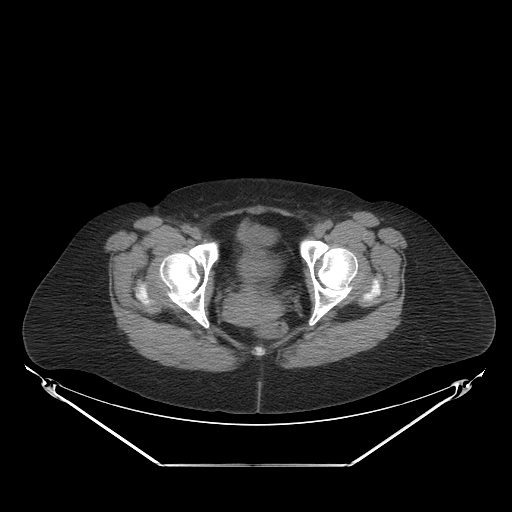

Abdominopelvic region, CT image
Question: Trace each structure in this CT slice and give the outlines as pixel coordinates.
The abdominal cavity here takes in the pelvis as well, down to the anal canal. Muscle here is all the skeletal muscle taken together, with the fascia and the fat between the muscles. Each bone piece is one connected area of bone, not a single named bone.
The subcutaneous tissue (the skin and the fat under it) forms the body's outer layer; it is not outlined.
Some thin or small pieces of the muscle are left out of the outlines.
Answer: The bones appear in 5 outlined pieces: piece 1: 214 240; 216 240; 219 244; 219 257; 212 265; 209 271; 204 291; 204 310; 206 316; 209 320; 209 327; 205 328; 186 311; 173 302; 166 294; 168 288; 159 277; 159 266; 163 258; 171 253; 180 251; 186 252; 198 244; 210 242; piece 2: 302 239; 321 240; 331 247; 344 247; 351 251; 355 255; 358 262; 357 274; 351 282; 352 289; 346 297; 332 307; 312 326; 309 325; 308 320; 314 308; 315 296; 314 295; 314 288; 309 268; 306 262; 301 257; 299 252; 299 243; piece 3: 140 282; 143 282; 146 284; 146 289; 147 290; 148 295; 149 296; 149 297; 150 298; 151 298; 154 301; 154 302; 153 303; 152 303; 149 305; 145 305; 136 298; 136 297; 135 296; 135 289; 136 288; 136 286; piece 4: 375 278; 379 281; 379 283; 380 284; 380 288; 381 289; 381 292; 380 294; 376 296; 371 300; 363 300; 362 298; 362 296; 363 294; 364 293; 366 293; 368 292; 370 290; 371 288; 371 284; 372 283; 372 280; piece 5: 256 345; 260 345; 261 346; 262 346; 264 348; 264 349; 265 350; 265 352; 264 353; 264 354; 263 355; 262 355; 261 356; 257 356; 256 355; 254 355; 253 354; 253 351; 254 350; 254 346; 255 346. The abdominal cavity is outlined by 266 212; 293 217; 303 223; 306 232; 299 238; 298 252; 303 260; 303 275; 311 313; 307 321; 279 339; 266 345; 262 343; 249 345; 235 339; 210 321; 209 306; 214 291; 214 268; 220 257; 220 244; 210 229; 214 222; 224 217. The torso is outlined by 246 176; 341 188; 370 201; 391 200; 420 214; 488 292; 496 317; 490 346; 477 356; 428 369; 361 399; 279 414; 234 414; 170 405; 92 373; 46 369; 35 364; 25 351; 21 333; 29 299; 89 219; 126 201; 155 203; 183 186. The muscle appears in 3 outlined pieces: piece 1: 258 204; 320 217; 364 210; 394 224; 407 242; 407 264; 401 322; 393 333; 371 349; 303 368; 282 368; 264 358; 248 360; 231 371; 212 372; 165 366; 138 354; 116 332; 108 255; 103 250; 106 239; 135 217; 165 214; 191 223, around holes outlined by 266 212; 301 221; 306 230; 301 240; 348 249; 357 259; 358 271; 346 297; 315 324; 306 321; 275 341; 258 343; 265 352; 257 356; 254 344; 235 339; 211 321; 205 328; 173 302; 159 266; 171 253; 215 240; 210 232; 214 222 and by 140 282; 143 282; 146 284; 146 289; 147 290; 148 295; 149 296; 149 297; 150 298; 151 298; 154 301; 154 302; 153 303; 152 303; 149 305; 145 305; 136 298; 136 297; 135 296; 135 289; 136 288; 136 286 and by 375 278; 379 281; 379 283; 380 284; 380 288; 381 289; 381 292; 380 294; 376 296; 371 300; 363 300; 362 298; 362 296; 363 294; 364 293; 366 293; 368 292; 370 290; 371 288; 371 284; 372 283; 372 280; piece 2: 215 263; 215 266; 213 268; 214 270; 214 283; 213 284; 213 291; 212 292; 211 298; 210 299; 209 305; 208 306; 208 313; 209 314; 209 319; 207 316; 207 314; 205 310; 205 291; 206 290; 206 286; 208 282; 210 271; 213 265; piece 3: 304 261; 308 268; 308 271; 309 272; 309 275; 310 276; 310 279; 311 280; 312 287; 313 288; 314 304; 311 312; 311 302; 310 301; 310 296; 308 292; 308 289; 305 281; 305 276; 304 275; 304 266; 305 265; 304 264.